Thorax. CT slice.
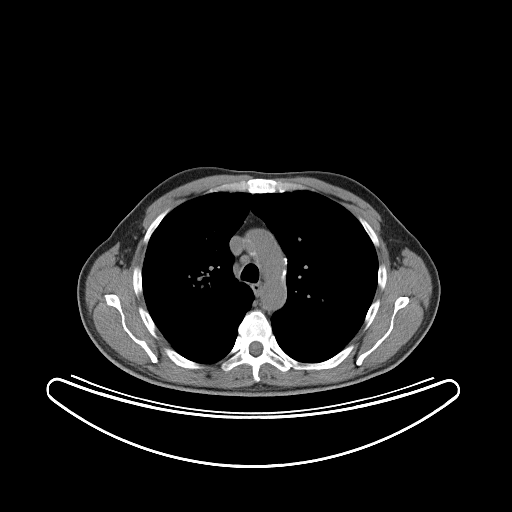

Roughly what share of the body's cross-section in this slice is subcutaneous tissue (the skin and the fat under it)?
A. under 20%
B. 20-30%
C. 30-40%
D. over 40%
Answer: A. under 20%
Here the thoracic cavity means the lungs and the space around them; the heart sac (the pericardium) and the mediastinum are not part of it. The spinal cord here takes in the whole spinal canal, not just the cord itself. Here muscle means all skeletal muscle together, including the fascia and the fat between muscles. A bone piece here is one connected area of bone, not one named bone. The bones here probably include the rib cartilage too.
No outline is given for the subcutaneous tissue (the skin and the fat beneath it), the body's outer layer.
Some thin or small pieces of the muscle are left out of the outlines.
bones 1: 256 309; 269 321; 281 349; 297 361; 321 362; 349 344; 353 344; 354 347; 339 364; 331 368; 290 368; 281 371; 270 363; 263 363; 258 371; 257 382; 249 364; 239 364; 224 371; 220 366; 221 362; 234 345; 241 321; 247 312 with a hole at 255 341; 256 341; 257 342; 259 342; 261 344; 261 345; 262 346; 262 350; 261 351; 261 352; 258 355; 253 355; 252 354; 251 354; 250 353; 250 351; 249 350; 249 346; 250 345; 250 344; 252 342; 254 342
bones 2: 253 178; 266 178; 267 179; 273 179; 276 181; 295 183; 303 185; 313 190; 309 189; 297 189; 292 191; 270 192; 269 193; 250 193; 247 191; 233 191; 232 192; 230 191; 216 191; 215 192; 205 193; 210 188; 225 183; 246 181
bones 3: 105 294; 115 294; 119 298; 127 328; 135 337; 140 340; 145 341; 149 348; 157 357; 157 362; 155 363; 152 362; 145 350; 139 344; 135 342; 124 330; 121 323; 121 315; 119 311; 114 306; 107 304; 104 297
bones 4: 400 296; 406 296; 408 297; 409 300; 404 307; 400 308; 396 312; 394 316; 393 327; 390 333; 374 350; 363 359; 360 365; 357 365; 356 364; 356 359; 357 357; 368 350; 389 328; 391 321; 391 316; 394 309; 395 301; 396 299
bones 5: 165 347; 169 347; 173 349; 180 355; 189 360; 191 360; 192 361; 203 364; 204 365; 204 367; 203 368; 192 369; 191 368; 186 368; 185 367; 182 367; 179 365; 177 365; 175 363; 174 363; 165 353; 164 351; 164 348
bones 6: 140 306; 143 307; 147 310; 153 322; 155 324; 157 328; 156 330; 156 334; 157 335; 157 337; 156 338; 154 337; 150 333; 150 332; 144 324; 140 316; 140 314; 138 310; 138 308
bones 7: 167 208; 170 208; 170 210; 164 216; 164 217; 158 224; 156 228; 153 231; 146 245; 143 242; 143 237; 146 231; 148 229; 150 224; 153 221; 153 220; 160 213; 161 213; 165 209
bones 8: 376 299; 379 299; 379 300; 380 301; 380 303; 379 304; 379 307; 377 310; 377 312; 376 313; 376 314; 375 315; 372 322; 366 329; 364 329; 364 319; 365 318; 365 316; 367 313; 367 311; 368 310; 370 305; 372 303; 372 302
bones 9: 136 266; 140 266; 141 267; 141 285; 142 286; 142 294; 140 294; 138 296; 137 296; 135 294; 135 292; 134 291; 134 289; 133 288; 133 269; 134 268; 134 267; 135 267
bones 10: 359 216; 363 219; 364 219; 370 225; 372 229; 375 232; 377 236; 378 241; 379 242; 379 245; 377 247; 375 247; 374 246; 368 234; 366 232; 363 226; 357 218
bones 11: 382 263; 383 264; 384 264; 385 265; 385 267; 386 268; 386 281; 385 282; 385 286; 384 287; 384 288; 383 289; 381 289; 379 287; 378 287; 378 286; 377 285; 377 279; 378 278; 378 267; 379 266; 379 264; 381 264
mediastinum: 249 210; 263 220; 275 236; 287 261; 285 273; 285 284; 287 292; 286 300; 283 306; 272 314; 270 321; 260 309; 256 308; 250 310; 254 300; 254 294; 247 284; 239 281; 236 278; 233 271; 234 256; 230 251; 229 241; 243 223
torso: 197 166; 261 172; 331 171; 347 175; 371 190; 417 238; 439 275; 441 292; 437 312; 421 341; 395 367; 367 380; 324 391; 283 396; 181 391; 146 382; 112 363; 90 339; 81 321; 76 295; 80 270; 93 250; 152 188; 179 171
spinal cord: 255 341; 256 341; 257 342; 259 342; 261 344; 261 345; 262 346; 262 350; 261 351; 261 352; 258 355; 253 355; 252 354; 251 354; 250 353; 250 351; 249 350; 249 346; 250 345; 250 344; 252 342; 254 342
muscle 1: 297 176; 322 180; 366 201; 381 217; 380 235; 391 265; 401 251; 408 248; 423 260; 432 289; 417 330; 381 365; 341 381; 285 387; 258 382; 261 366; 267 363; 286 372; 290 369; 331 369; 339 365; 354 349; 355 345; 349 343; 363 323; 366 330; 373 322; 381 303; 379 298; 374 299; 376 289; 383 290; 387 281; 386 265; 379 263; 376 252; 380 242; 371 225; 312 188; 274 179 with a hole at 400 296; 406 296; 408 297; 409 300; 404 307; 400 308; 396 312; 394 316; 393 327; 390 333; 374 350; 363 359; 360 365; 357 365; 356 364; 356 359; 357 357; 368 350; 389 328; 391 321; 391 316; 394 309; 395 301; 396 299
muscle 2: 142 237; 146 248; 142 266; 132 269; 132 288; 144 299; 146 308; 137 308; 143 324; 169 344; 167 357; 192 370; 221 360; 224 372; 246 364; 255 383; 221 388; 168 381; 133 365; 101 337; 86 305; 88 273; 118 242; 128 267 with a hole at 105 294; 115 294; 119 298; 127 328; 135 337; 140 340; 145 341; 149 348; 157 357; 157 362; 155 363; 152 362; 145 350; 139 344; 135 342; 124 330; 121 323; 121 315; 119 311; 114 306; 107 304; 104 297
muscle 3: 216 174; 249 175; 253 177; 252 178; 246 180; 225 182; 210 187; 204 193; 192 197; 180 203; 172 209; 170 207; 165 208; 152 220; 143 236; 142 222; 146 213; 146 209; 150 204; 160 196; 178 186; 198 178; 210 175; 215 175
thoracic cavity: 297 190; 343 206; 375 248; 377 286; 348 344; 315 362; 297 360; 279 345; 270 322; 287 300; 288 261; 276 236; 249 209; 228 241; 233 275; 253 294; 233 345; 212 363; 172 348; 147 309; 142 285; 147 245; 165 216; 203 194